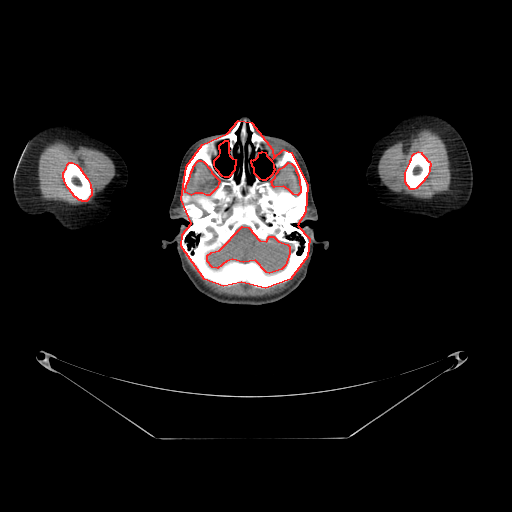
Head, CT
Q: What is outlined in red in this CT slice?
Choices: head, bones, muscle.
A: red: bones.
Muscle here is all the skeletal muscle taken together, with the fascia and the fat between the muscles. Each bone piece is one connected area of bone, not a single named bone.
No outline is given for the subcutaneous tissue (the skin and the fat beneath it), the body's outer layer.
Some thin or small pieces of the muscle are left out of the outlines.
{"bones":[{"outer":[[238,120],[251,122],[272,149],[273,158],[283,149],[291,152],[307,185],[305,212],[297,225],[309,238],[307,256],[290,279],[265,288],[241,282],[223,286],[204,279],[181,246],[182,234],[191,223],[181,199],[186,166],[202,144],[227,133]],"holes":[[[242,226],[248,227],[259,240],[266,241],[269,236],[273,236],[278,241],[287,244],[289,246],[289,253],[285,265],[281,269],[269,273],[266,272],[255,260],[243,262],[232,259],[226,261],[217,268],[212,267],[207,261],[207,255],[211,252],[219,250]],[[198,160],[201,160],[203,161],[210,169],[211,172],[219,180],[219,182],[218,183],[217,187],[209,195],[206,195],[202,193],[195,193],[191,195],[185,192],[185,188],[186,187],[187,182],[189,179],[189,177],[190,176],[191,171],[193,168],[193,166]],[[288,162],[291,163],[294,166],[295,170],[297,173],[298,178],[299,179],[300,192],[297,195],[293,194],[288,189],[283,186],[274,187],[272,185],[272,183],[271,182],[271,181],[275,177],[276,173],[278,171],[278,170],[280,168],[284,166]],[[225,140],[227,140],[228,142],[228,149],[229,150],[228,151],[228,153],[229,155],[232,158],[235,159],[235,165],[234,166],[234,170],[228,177],[224,177],[222,176],[216,169],[214,165],[214,160],[219,155],[220,153],[220,150],[219,149],[219,145]],[[262,151],[265,152],[266,155],[271,160],[273,164],[273,167],[274,168],[274,170],[271,175],[265,180],[262,180],[260,179],[254,173],[254,168],[252,166],[252,164],[251,163],[251,160],[252,159],[253,160],[255,159],[258,156],[259,152],[261,152]]]},[[69,162],[72,162],[76,164],[80,168],[80,169],[87,178],[90,184],[90,187],[91,188],[91,195],[86,201],[82,201],[81,200],[79,200],[76,197],[75,197],[68,188],[64,181],[64,179],[63,178],[63,172],[66,168],[67,164]],[[418,151],[421,152],[421,153],[426,158],[426,159],[428,161],[429,161],[430,163],[430,166],[429,167],[429,171],[426,177],[424,179],[424,180],[416,188],[414,189],[410,189],[405,182],[405,172],[410,162],[410,160],[411,159],[412,155],[414,153]]],"right_arm":[[[57,123],[67,123],[82,128],[113,147],[122,156],[127,165],[127,184],[125,187],[118,188],[113,192],[113,209],[109,217],[100,224],[86,230],[75,232],[66,229],[48,213],[34,216],[28,215],[18,207],[14,198],[12,180],[28,141],[40,129]]],"muscle":[{"outer":[[419,127],[431,128],[436,131],[444,140],[448,151],[448,157],[450,162],[450,170],[451,171],[451,181],[450,182],[449,191],[444,193],[441,196],[425,200],[411,199],[396,195],[384,186],[378,175],[378,163],[381,154],[384,150],[395,138],[407,131]],"hole":[[418,151],[421,152],[421,153],[426,158],[426,159],[428,161],[429,161],[430,163],[430,166],[429,167],[429,171],[426,177],[424,179],[424,180],[416,188],[414,189],[410,189],[405,182],[405,172],[410,162],[410,160],[411,159],[412,155],[414,153]]},{"outer":[[56,139],[70,140],[72,142],[97,149],[106,154],[113,161],[116,171],[114,177],[104,189],[96,195],[92,202],[73,205],[63,201],[46,200],[41,197],[41,194],[38,188],[39,184],[37,179],[37,161],[38,160],[38,156],[43,147],[47,143]],"hole":[[69,162],[72,162],[76,164],[80,168],[80,169],[87,178],[90,184],[90,187],[91,188],[91,195],[86,201],[82,201],[81,200],[79,200],[76,197],[75,197],[68,188],[64,181],[64,179],[63,178],[63,172],[66,168],[67,164]]},[[184,254],[185,257],[189,260],[195,266],[199,275],[204,280],[223,287],[229,287],[241,283],[258,289],[270,288],[279,284],[283,284],[290,280],[302,266],[305,260],[305,263],[297,277],[286,288],[277,293],[263,296],[229,296],[216,293],[205,286],[188,265],[185,259]],[[198,160],[201,160],[203,161],[210,169],[211,172],[219,180],[219,182],[218,183],[217,187],[209,195],[206,195],[202,193],[195,193],[191,195],[185,192],[185,188],[186,187],[187,182],[189,179],[189,177],[190,176],[191,171],[193,168],[193,166]],[[288,162],[291,163],[294,166],[295,170],[297,173],[298,178],[299,179],[300,192],[297,195],[293,194],[288,189],[283,186],[274,187],[272,185],[272,183],[271,182],[271,181],[275,177],[276,173],[278,171],[278,170],[280,168],[284,166]],[[197,147],[198,147],[193,152],[192,155],[188,160],[181,176],[181,180],[180,181],[180,199],[183,204],[182,205],[182,210],[186,215],[185,215],[180,213],[175,209],[175,198],[176,197],[176,193],[177,192],[181,173],[186,162],[186,160],[192,151]]],"head":[{"outer":[[244,115],[255,129],[300,152],[318,213],[313,235],[329,242],[327,249],[314,246],[306,276],[291,293],[263,305],[226,304],[202,294],[182,269],[176,244],[161,247],[162,239],[191,223],[171,219],[168,212],[186,150],[202,137],[231,130]],"holes":[[[225,140],[227,140],[228,142],[228,149],[229,150],[228,151],[228,153],[229,155],[232,158],[235,159],[235,165],[234,166],[234,170],[228,177],[224,177],[222,176],[216,169],[214,165],[214,160],[219,155],[220,153],[220,150],[219,149],[219,145]],[[262,151],[265,152],[266,155],[271,160],[273,164],[273,167],[274,168],[274,170],[271,175],[265,180],[262,180],[260,179],[254,173],[254,168],[252,166],[252,164],[251,163],[251,160],[252,159],[253,160],[255,159],[258,156],[259,152],[261,152]],[[306,221],[310,221],[311,222],[312,222],[312,224],[305,224],[303,226],[298,226],[298,225],[299,225],[301,223],[303,223],[304,222],[305,222]]]}],"brain":[[[242,226],[248,227],[259,240],[266,241],[269,236],[273,236],[278,241],[287,244],[289,246],[289,253],[285,265],[281,269],[269,273],[266,272],[255,260],[243,262],[232,259],[226,261],[217,268],[212,267],[207,261],[207,255],[211,252],[219,250]]],"left_arm":[[[420,112],[436,114],[450,122],[462,136],[471,159],[473,170],[473,187],[471,197],[467,205],[460,211],[449,213],[443,217],[406,216],[380,203],[376,197],[374,188],[366,181],[365,172],[371,159],[371,150],[374,143],[388,133],[400,120],[409,115]]]}